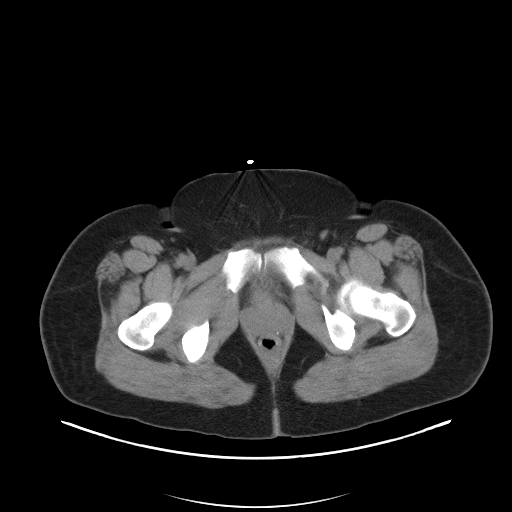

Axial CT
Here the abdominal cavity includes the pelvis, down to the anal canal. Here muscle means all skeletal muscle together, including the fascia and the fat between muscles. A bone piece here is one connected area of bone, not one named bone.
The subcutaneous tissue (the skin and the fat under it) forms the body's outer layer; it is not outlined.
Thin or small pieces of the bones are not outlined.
Outlined structures:
torso: 254,168 325,173 364,200 393,198 415,204 451,231 484,281 493,311 490,355 469,391 347,431 271,439 231,439 156,427 75,404 61,394 43,351 39,309 50,277 77,233 123,206 167,204 178,188 197,177
abdominal cavity: 269,266 271,266 283,276 291,289 291,299 293,302 293,325 281,352 279,361 273,369 266,363 254,340 244,327 244,324 240,317 239,309 240,296 239,292 247,281 250,274 258,272 262,268 263,269
muscle: 375,222 406,231 423,249 427,294 438,335 435,362 424,374 360,398 328,403 303,401 295,395 292,384 326,350 297,324 275,384 275,395 239,326 219,348 215,362 256,385 252,399 240,405 206,408 141,397 112,386 95,369 101,322 95,270 120,241 144,234 163,246 187,248 195,256 207,259 242,239 279,235 292,237 316,253 349,246 360,227 with holes at 281,246 297,247 302,256 317,270 321,278 308,273 302,285 291,289 293,325 279,361 272,369 266,363 254,340 244,327 239,309 240,293 236,294 226,288 226,278 221,268 230,250 249,247 264,253 272,248 and at 352,277 378,291 393,291 407,300 416,314 410,328 403,334 393,337 387,333 381,321 353,314 355,321 353,343 350,349 346,351 337,348 329,337 321,304 324,304 333,312 338,307 336,302 337,291 344,282 and at 153,301 167,301 169,302 172,306 172,314 169,320 164,325 164,326 155,334 154,336 154,341 153,342 153,344 150,348 142,351 133,349 123,343 119,339 117,335 117,328 122,320 132,315 140,308 and at 206,319 207,319 209,322 209,336 208,337 208,343 206,347 206,350 202,357 196,363 192,363 191,362 189,362 186,356 184,354 182,349 182,346 181,345 181,338 182,337 182,335 191,324 200,324
bones 1: 352,277 378,291 393,291 407,300 416,314 410,328 403,334 393,337 387,333 381,321 353,314 355,321 353,343 350,349 346,351 337,348 329,337 321,304 324,304 333,312 338,307 336,302 337,291 344,282
bones 2: 281,246 297,247 302,256 317,270 321,278 308,273 305,276 305,281 302,285 291,288 284,276 269,265 250,273 236,294 226,288 226,278 222,273 221,268 230,250 249,247 255,251 264,253 272,248
bones 3: 153,301 167,301 169,302 172,306 172,314 169,320 164,325 164,326 155,334 154,336 154,341 153,342 153,344 150,348 142,351 133,349 123,343 119,339 117,335 117,328 122,320 132,315 140,308
bones 4: 206,319 207,319 209,322 209,336 208,337 208,343 206,347 206,350 202,357 196,363 192,363 191,362 189,362 186,356 184,354 182,349 182,346 181,345 181,338 182,337 182,335 191,324 200,324